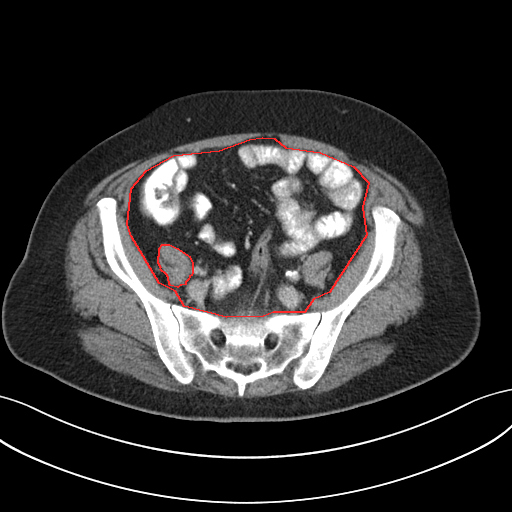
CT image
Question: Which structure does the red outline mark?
Answer: red: abdominal cavity.
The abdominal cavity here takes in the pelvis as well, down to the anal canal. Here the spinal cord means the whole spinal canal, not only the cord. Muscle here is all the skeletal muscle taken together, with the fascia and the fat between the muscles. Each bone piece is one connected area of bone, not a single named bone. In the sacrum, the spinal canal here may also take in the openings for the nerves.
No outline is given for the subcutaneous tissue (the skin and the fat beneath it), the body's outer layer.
abdominal cavity: [[262,137],[274,138],[285,147],[320,152],[353,166],[368,182],[362,207],[366,235],[329,292],[313,299],[304,312],[273,312],[263,316],[226,317],[184,306],[175,291],[159,283],[131,236],[127,224],[131,188],[146,170],[173,155],[219,150],[249,139]]; inner edge: [[162,244],[169,244],[177,248],[189,256],[192,263],[192,272],[191,275],[189,276],[188,279],[185,282],[185,284],[180,285],[177,287],[170,285],[169,284],[168,277],[166,274],[160,269],[161,268],[158,263],[158,256],[159,255],[159,248]]
spinal cord 1: [[230,364],[232,364],[233,365],[237,365],[238,364],[242,364],[243,365],[258,365],[258,366],[256,369],[255,369],[254,370],[253,370],[248,373],[243,373],[242,372],[240,372],[239,371],[237,371],[235,369],[234,369],[234,368],[233,367],[230,366]]
spinal cord 2: [[213,332],[220,332],[222,334],[222,338],[221,339],[214,339],[213,338],[213,337],[212,336],[212,333]]
spinal cord 3: [[270,335],[276,335],[277,336],[277,342],[276,343],[272,343],[269,340],[269,336]]
muscle 1: [[257,131],[329,143],[371,161],[411,192],[425,218],[417,232],[421,309],[397,331],[393,351],[381,364],[338,387],[318,394],[244,397],[247,384],[280,375],[297,359],[292,382],[301,390],[317,383],[346,319],[393,267],[403,222],[390,207],[373,205],[373,248],[361,278],[336,305],[307,311],[330,292],[367,235],[363,207],[369,182],[342,159],[285,146],[274,137],[254,137],[163,158],[130,188],[130,236],[158,283],[181,304],[155,295],[136,273],[122,242],[116,198],[103,196],[94,204],[104,259],[139,299],[167,371],[178,383],[190,384],[193,355],[203,372],[232,380],[238,396],[169,391],[108,368],[79,343],[66,285],[66,244],[85,197],[129,162],[182,143]]
muscle 2: [[162,244],[169,244],[177,248],[189,256],[192,263],[192,272],[191,275],[189,276],[188,279],[185,282],[185,284],[180,285],[177,287],[170,285],[169,284],[168,277],[166,274],[160,269],[161,268],[158,263],[158,256],[159,255],[159,248]]
muscle 3: [[323,250],[328,251],[330,253],[330,255],[332,258],[331,259],[331,267],[326,277],[326,280],[325,281],[325,285],[324,287],[321,289],[318,289],[316,287],[312,287],[304,283],[300,273],[299,267],[302,262],[303,262],[309,255],[322,251]]
bones: [[103,197],[117,202],[125,254],[150,292],[226,318],[336,306],[370,261],[372,207],[402,222],[392,267],[345,319],[316,383],[293,382],[297,358],[247,383],[240,397],[232,379],[203,371],[193,354],[190,383],[168,371],[140,299],[105,259],[95,206]]; inner edges: [[230,364],[232,364],[233,365],[237,365],[238,364],[242,364],[243,365],[258,365],[258,366],[256,369],[255,369],[254,370],[253,370],[248,373],[243,373],[242,372],[240,372],[239,371],[237,371],[235,369],[234,369],[234,368],[233,367],[230,366]], then [[213,332],[220,332],[222,334],[222,338],[221,339],[214,339],[213,338],[213,337],[212,336],[212,333]], then [[270,335],[276,335],[277,336],[277,342],[276,343],[272,343],[269,340],[269,336]]
torso: [[277,88],[331,91],[375,105],[408,125],[435,153],[447,177],[455,229],[480,303],[480,331],[469,354],[450,370],[373,403],[304,419],[232,422],[178,419],[126,407],[16,359],[1,327],[3,298],[38,211],[60,175],[94,145],[170,99],[205,90]]